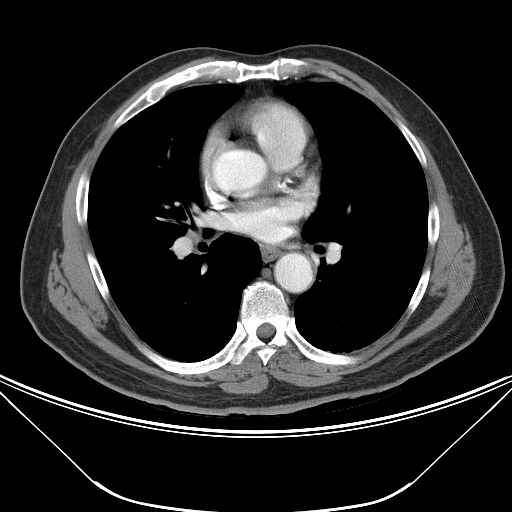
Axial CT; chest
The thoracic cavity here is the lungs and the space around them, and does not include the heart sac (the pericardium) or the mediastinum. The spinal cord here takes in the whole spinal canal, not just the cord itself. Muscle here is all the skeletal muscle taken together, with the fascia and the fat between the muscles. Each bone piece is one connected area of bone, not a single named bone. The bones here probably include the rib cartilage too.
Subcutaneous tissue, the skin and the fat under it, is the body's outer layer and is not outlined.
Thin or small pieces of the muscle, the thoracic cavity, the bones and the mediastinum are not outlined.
{"muscle":[[[208,56],[229,59],[207,60],[177,70],[154,81],[130,103],[113,122],[114,131],[102,148],[90,176],[84,170],[76,185],[76,220],[80,226],[87,225],[93,249],[85,253],[91,275],[103,300],[107,303],[111,297],[135,334],[149,347],[136,341],[137,349],[162,369],[180,375],[206,373],[228,363],[239,365],[253,350],[265,366],[277,348],[286,347],[290,342],[303,356],[315,362],[352,365],[360,357],[349,353],[372,344],[389,331],[404,312],[410,316],[423,298],[431,274],[429,266],[423,269],[424,262],[428,246],[433,247],[438,240],[440,215],[438,205],[434,201],[429,203],[423,170],[428,163],[419,141],[399,118],[392,121],[342,75],[323,67],[315,69],[318,74],[297,75],[310,67],[305,59],[300,58],[329,60],[369,82],[403,115],[432,155],[469,228],[476,260],[469,293],[442,324],[339,381],[303,387],[271,377],[267,388],[259,393],[235,394],[205,386],[174,383],[127,365],[90,342],[51,304],[46,285],[48,268],[61,224],[64,193],[75,166],[106,120],[141,86],[173,68]]],"torso":[[[310,43],[342,47],[377,63],[411,88],[447,128],[501,238],[504,288],[488,325],[469,345],[397,386],[280,415],[212,416],[174,411],[122,395],[76,369],[37,335],[22,309],[19,291],[30,219],[70,127],[120,78],[163,53],[209,46],[260,54]]],"thoracic_cavity":[[[215,83],[232,83],[241,86],[243,92],[209,126],[199,152],[198,182],[207,226],[218,236],[228,233],[255,242],[261,268],[242,290],[236,326],[224,346],[207,358],[179,361],[144,342],[111,296],[88,229],[90,177],[103,148],[122,125],[169,91]],[[332,80],[370,100],[395,124],[422,168],[428,199],[426,253],[405,310],[380,337],[348,353],[332,352],[313,345],[300,333],[291,313],[297,298],[316,281],[318,268],[302,237],[302,230],[318,205],[323,162],[312,124],[295,105],[274,90],[294,83]]],"pericardium":[[[267,96],[281,98],[288,101],[305,116],[314,131],[321,160],[320,193],[317,205],[303,222],[298,233],[280,244],[260,243],[241,234],[235,230],[221,214],[216,210],[209,208],[205,201],[199,171],[202,146],[208,130],[212,125],[233,106],[258,97]]],"mediastinum":[[[304,222],[301,230],[301,237],[308,245],[309,253],[315,262],[317,271],[315,281],[311,287],[296,298],[293,303],[292,309],[290,309],[283,292],[275,284],[266,280],[253,281],[260,273],[262,268],[260,251],[256,242],[264,245],[283,244],[299,233]],[[308,75],[319,75],[331,80],[303,81],[275,86],[273,90],[284,98],[276,97],[271,95],[258,96],[255,98],[239,102],[226,110],[244,92],[244,88],[241,85],[233,83],[240,83],[253,79],[285,80],[293,76],[307,76]],[[199,172],[199,180],[201,184],[201,185],[201,189],[202,190],[203,193],[204,201],[207,207],[209,209],[216,211],[231,225],[235,231],[242,235],[230,234],[228,232],[224,232],[218,235],[211,227],[208,226],[208,218],[206,214],[206,210],[203,204],[202,192],[201,191],[199,182]]],"spinal_cord":[[[264,323],[268,323],[269,324],[270,324],[271,325],[272,325],[274,328],[274,333],[272,335],[272,336],[269,338],[261,338],[260,337],[259,337],[257,335],[257,329],[258,328],[258,327]]],"bones":[{"outer":[[256,281],[271,283],[282,292],[297,330],[309,343],[324,351],[357,356],[355,363],[315,361],[290,341],[277,347],[265,365],[253,349],[239,364],[228,362],[206,372],[180,374],[154,363],[136,346],[138,342],[179,362],[213,356],[235,332],[243,290]],"hole":[[264,323],[268,323],[269,324],[270,324],[271,325],[272,325],[274,328],[274,333],[272,335],[272,336],[269,338],[261,338],[260,337],[259,337],[257,335],[257,329],[258,328],[258,327]]},[[281,57],[299,58],[309,64],[307,69],[296,75],[285,79],[253,78],[240,82],[228,82],[223,79],[197,79],[186,82],[171,88],[158,101],[141,110],[113,130],[113,125],[117,118],[143,92],[154,82],[177,71],[214,60],[235,60],[259,65]],[[84,171],[86,171],[89,176],[89,186],[88,187],[88,193],[87,194],[87,224],[85,224],[84,225],[80,225],[78,223],[78,221],[77,220],[77,214],[76,213],[76,191],[77,190],[77,185],[78,184],[78,181],[79,180],[80,175]],[[87,251],[91,251],[94,253],[94,255],[101,269],[102,274],[104,277],[105,282],[107,285],[107,287],[110,294],[110,297],[108,299],[108,301],[107,302],[106,302],[102,297],[96,285],[94,278],[92,275],[92,273],[88,263],[87,256],[86,255]],[[426,267],[429,267],[430,268],[430,274],[429,275],[429,279],[427,283],[426,289],[423,294],[422,298],[420,300],[418,305],[416,307],[414,311],[410,315],[408,315],[405,312],[406,308],[417,286],[417,284],[419,281],[421,274],[423,270]],[[395,119],[399,119],[415,136],[416,139],[418,141],[424,153],[424,155],[426,159],[426,162],[427,164],[425,167],[422,167],[420,162],[418,160],[411,146],[409,144],[406,138],[403,135],[403,134],[401,132],[399,128],[396,125],[394,121]],[[432,202],[434,202],[437,205],[437,207],[438,208],[438,214],[439,215],[439,233],[438,234],[438,237],[437,238],[437,240],[436,241],[436,242],[435,243],[435,244],[433,246],[430,246],[429,245],[428,245],[428,211],[429,210],[429,204]],[[321,68],[323,68],[324,69],[332,71],[336,73],[338,75],[342,76],[350,84],[354,86],[359,91],[359,92],[356,91],[354,89],[342,83],[337,82],[330,78],[328,78],[323,75],[321,75],[317,73],[316,72],[316,69],[320,69]]]}